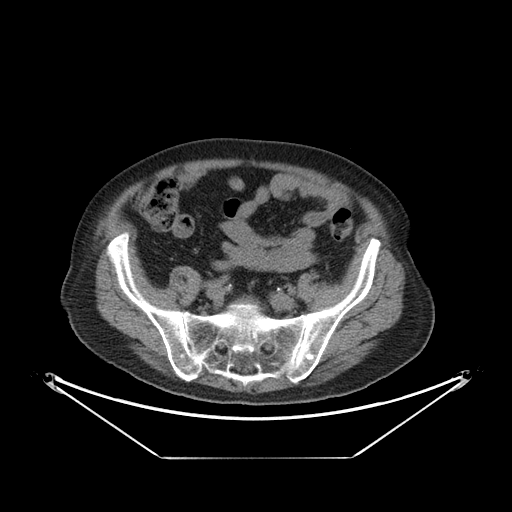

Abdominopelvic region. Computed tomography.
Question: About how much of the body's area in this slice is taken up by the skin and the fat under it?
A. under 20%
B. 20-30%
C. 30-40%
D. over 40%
Answer: B. 20-30%
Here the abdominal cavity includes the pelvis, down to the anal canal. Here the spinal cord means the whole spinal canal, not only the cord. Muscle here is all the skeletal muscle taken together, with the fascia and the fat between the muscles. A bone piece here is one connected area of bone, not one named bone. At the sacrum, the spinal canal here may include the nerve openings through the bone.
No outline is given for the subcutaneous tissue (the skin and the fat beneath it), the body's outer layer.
The torso is outlined by (209, 137) (279, 140) (320, 147) (359, 164) (394, 192) (411, 220) (408, 248) (431, 289) (435, 305) (431, 335) (413, 360) (345, 396) (301, 404) (222, 404) (156, 388) (98, 358) (78, 340) (60, 306) (59, 295) (74, 232) (88, 201) (106, 181) (141, 158) (178, 143). The spinal cord appears in 3 outlined pieces: piece 1: (240, 368) (248, 368) (249, 369) (253, 369) (254, 370) (255, 370) (255, 372) (254, 372) (253, 373) (250, 373) (249, 374) (241, 374) (240, 373) (238, 373) (237, 372) (236, 372) (234, 370) (234, 369) (239, 369); piece 2: (265, 343) (269, 343) (271, 345) (271, 348) (272, 349) (272, 351) (271, 352) (267, 352) (266, 351) (265, 351) (264, 350) (264, 344); piece 3: (218, 345) (219, 345) (220, 345) (221, 345) (222, 345) (223, 346) (224, 347) (224, 348) (225, 349) (225, 350) (225, 351) (224, 352) (223, 352) (222, 352) (221, 352) (220, 352) (219, 351) (219, 350) (218, 349) (217, 348) (217, 347) (217, 346). The abdominal cavity is outlined by (241, 165) (328, 184) (353, 196) (365, 214) (340, 281) (319, 281) (313, 271) (297, 279) (305, 313) (277, 318) (248, 300) (231, 301) (212, 314) (182, 310) (198, 294) (202, 276) (176, 265) (167, 285) (159, 287) (142, 265) (137, 229) (122, 213) (128, 198) (156, 179). The bones are outlined by (125, 231) (143, 297) (158, 308) (203, 316) (234, 301) (256, 303) (277, 319) (330, 307) (353, 287) (370, 238) (381, 244) (367, 294) (339, 321) (312, 371) (297, 383) (283, 373) (244, 385) (204, 367) (188, 382) (176, 375) (158, 329) (123, 292) (106, 254) (108, 243) with holes at (240, 368) (248, 368) (249, 369) (253, 369) (254, 370) (255, 370) (255, 372) (254, 372) (253, 373) (250, 373) (249, 374) (241, 374) (240, 373) (238, 373) (237, 372) (236, 372) (234, 370) (234, 369) (239, 369) and at (265, 343) (269, 343) (271, 345) (271, 348) (272, 349) (272, 351) (271, 352) (267, 352) (266, 351) (265, 351) (264, 350) (264, 344) and at (218, 345) (219, 345) (220, 345) (221, 345) (222, 345) (223, 346) (224, 347) (224, 348) (225, 349) (225, 350) (225, 351) (224, 352) (223, 352) (222, 352) (221, 352) (220, 352) (219, 351) (219, 350) (218, 349) (217, 348) (217, 347) (217, 346). The muscle is outlined by (212, 158) (265, 160) (311, 168) (348, 185) (379, 208) (387, 221) (391, 251) (402, 263) (405, 272) (403, 308) (399, 319) (378, 335) (379, 343) (359, 363) (320, 384) (256, 394) (189, 382) (196, 379) (204, 368) (210, 374) (239, 381) (244, 386) (266, 378) (278, 379) (283, 374) (290, 382) (297, 384) (317, 366) (340, 321) (365, 298) (373, 284) (382, 243) (372, 236) (362, 254) (357, 275) (348, 293) (330, 306) (308, 312) (308, 305) (298, 293) (298, 279) (304, 273) (313, 272) (319, 282) (340, 282) (355, 252) (358, 227) (367, 218) (353, 195) (291, 171) (241, 164) (212, 168) (201, 174) (175, 173) (146, 183) (130, 195) (121, 207) (123, 217) (136, 229) (136, 252) (146, 276) (154, 286) (165, 288) (169, 283) (170, 273) (176, 266) (189, 266) (201, 276) (197, 294) (181, 310) (158, 307) (146, 299) (136, 286) (128, 252) (129, 232) (125, 230) (117, 234) (105, 248) (120, 289) (157, 329) (173, 372) (187, 382) (176, 381) (145, 363) (127, 346) (125, 336) (102, 318) (96, 308) (94, 291) (99, 254) (93, 250) (93, 235) (104, 207) (126, 187) (162, 168).